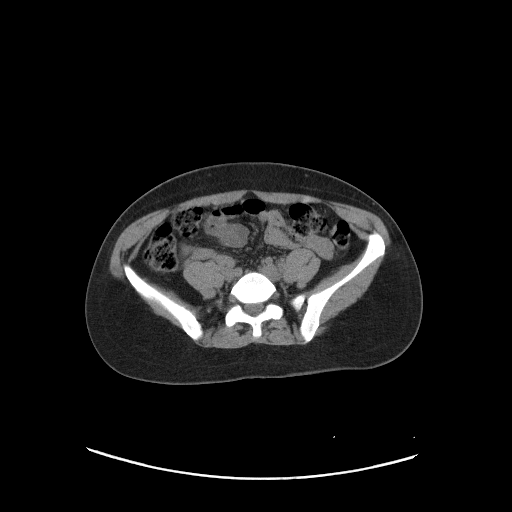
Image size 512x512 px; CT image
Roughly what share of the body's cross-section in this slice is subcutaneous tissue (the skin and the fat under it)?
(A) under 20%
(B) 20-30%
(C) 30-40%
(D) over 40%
Answer: (D) over 40%
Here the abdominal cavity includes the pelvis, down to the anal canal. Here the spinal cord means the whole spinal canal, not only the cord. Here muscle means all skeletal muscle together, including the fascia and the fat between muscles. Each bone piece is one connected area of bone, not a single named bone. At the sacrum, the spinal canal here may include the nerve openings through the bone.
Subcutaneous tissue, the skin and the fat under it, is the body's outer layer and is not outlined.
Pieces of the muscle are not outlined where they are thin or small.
{"muscle":[[[240,189],[301,193],[349,204],[374,213],[386,227],[390,237],[390,247],[373,280],[364,294],[340,315],[325,332],[313,338],[320,325],[322,312],[333,294],[383,256],[386,251],[384,238],[378,231],[370,232],[365,244],[354,229],[325,204],[308,201],[274,203],[248,192],[233,202],[184,208],[171,213],[151,229],[137,251],[133,266],[141,275],[153,283],[170,289],[182,299],[197,305],[208,301],[185,279],[184,268],[190,262],[213,260],[219,266],[225,278],[215,297],[229,296],[228,299],[231,304],[224,314],[224,323],[227,327],[232,327],[236,323],[248,324],[252,329],[252,336],[259,338],[262,335],[263,322],[279,320],[284,314],[284,307],[275,299],[278,291],[285,296],[292,297],[288,303],[296,312],[305,303],[305,309],[298,327],[299,334],[305,344],[270,345],[250,343],[238,348],[199,346],[192,340],[199,340],[204,332],[196,313],[192,309],[177,302],[145,280],[127,262],[122,265],[122,268],[130,285],[113,277],[110,273],[109,262],[117,238],[128,225],[138,218],[152,211],[195,197]],[[298,248],[305,248],[308,250],[310,250],[313,252],[320,261],[319,267],[316,273],[306,284],[306,285],[301,289],[299,289],[296,286],[296,284],[295,283],[288,284],[284,282],[282,278],[282,275],[284,271],[285,259],[287,255],[293,250],[295,250]],[[363,251],[357,263],[348,273],[347,273],[340,279],[337,280],[332,284],[318,291],[313,292],[308,295],[307,295],[304,292],[303,292],[312,288],[324,277],[328,276],[333,272],[336,271],[342,266],[352,262],[356,258],[357,258],[358,256]],[[136,292],[138,294],[139,294],[139,295],[141,296],[145,300],[149,302],[152,302],[158,305],[161,308],[162,308],[165,311],[166,311],[178,322],[181,329],[180,329],[175,325],[172,324],[167,319],[154,313],[152,311],[150,307],[136,293]]],"torso":[[[233,161],[275,161],[323,171],[358,187],[388,211],[412,252],[423,290],[423,313],[418,332],[399,357],[382,366],[365,370],[244,378],[194,385],[133,379],[116,372],[101,359],[87,332],[84,298],[94,259],[109,228],[130,203],[158,183],[191,169]]],"bones":[{"outer":[[250,271],[262,273],[271,280],[277,290],[274,299],[283,307],[283,314],[279,319],[268,319],[261,323],[261,335],[259,337],[253,336],[253,329],[248,323],[236,322],[232,326],[227,326],[225,323],[225,314],[232,304],[229,299],[231,287],[242,275]],"hole":[[259,303],[260,304],[262,304],[262,310],[258,314],[257,314],[256,315],[250,315],[248,313],[247,313],[245,311],[245,310],[244,309],[244,306],[245,305],[246,305],[247,304],[258,304]]},[[373,231],[378,232],[383,238],[385,245],[384,254],[332,294],[321,312],[319,325],[314,336],[309,342],[304,343],[299,327],[306,309],[306,303],[296,311],[290,305],[290,299],[300,293],[308,296],[318,292],[348,274],[360,260],[368,241],[368,235]],[[125,263],[129,264],[145,281],[152,286],[177,303],[192,310],[195,313],[196,318],[201,325],[203,332],[202,336],[196,340],[192,339],[182,329],[179,322],[166,310],[158,304],[152,301],[149,301],[140,295],[131,285],[125,275],[123,268],[123,265]]],"spinal_cord":[[[259,303],[260,304],[262,304],[262,310],[258,314],[257,314],[256,315],[250,315],[248,313],[247,313],[245,311],[245,310],[244,309],[244,306],[245,305],[246,305],[247,304],[258,304]]],"abdominal_cavity":[{"outer":[[248,193],[274,204],[325,205],[362,240],[365,245],[357,257],[312,287],[285,295],[264,273],[250,270],[231,285],[228,295],[216,297],[226,279],[220,266],[213,259],[196,260],[182,272],[207,301],[194,304],[134,266],[152,229],[171,214],[233,203]],"hole":[[298,248],[305,248],[308,250],[310,250],[313,252],[320,261],[319,267],[316,273],[306,284],[306,285],[301,289],[299,289],[296,286],[296,284],[295,283],[288,284],[284,282],[282,278],[282,275],[284,271],[285,259],[287,255],[293,250],[295,250]]}]}